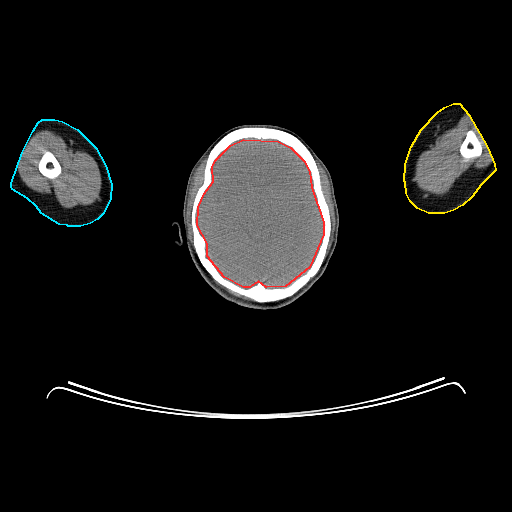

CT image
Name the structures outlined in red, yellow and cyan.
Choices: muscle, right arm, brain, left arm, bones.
red: brain; yellow: left arm; cyan: right arm.
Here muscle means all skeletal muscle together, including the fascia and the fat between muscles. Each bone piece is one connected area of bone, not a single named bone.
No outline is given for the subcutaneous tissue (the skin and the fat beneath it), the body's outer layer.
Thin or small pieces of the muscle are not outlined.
brain: (243, 139) (278, 141) (290, 147) (303, 160) (309, 171) (311, 187) (323, 222) (323, 234) (309, 267) (285, 286) (266, 287) (258, 281) (249, 287) (243, 287) (224, 277) (207, 256) (207, 243) (197, 225) (198, 207) (204, 193) (213, 181) (212, 167) (215, 160) (230, 145)
left arm: (453, 103) (459, 103) (468, 114) (487, 147) (494, 164) (495, 170) (481, 184) (471, 197) (462, 205) (453, 210) (444, 213) (428, 213) (417, 208) (410, 201) (406, 193) (405, 182) (404, 181) (405, 164) (411, 146) (421, 129) (437, 112) (444, 107)
right arm: (42, 119) (54, 119) (62, 121) (77, 129) (95, 147) (105, 165) (111, 184) (110, 198) (103, 213) (97, 219) (90, 223) (80, 226) (68, 226) (67, 225) (59, 224) (41, 213) (36, 206) (27, 198) (12, 189) (11, 187) (11, 183) (22, 152) (33, 130) (38, 122)
muscle 1: (42, 129) (54, 131) (63, 137) (71, 139) (81, 150) (87, 152) (94, 158) (97, 162) (102, 180) (100, 193) (101, 199) (99, 201) (80, 210) (65, 209) (61, 207) (53, 198) (38, 193) (24, 184) (20, 178) (19, 172) (16, 169) (17, 164) (31, 134) (36, 130) with a hole at (45, 150) (50, 151) (54, 155) (54, 156) (56, 158) (56, 159) (58, 161) (58, 162) (61, 166) (61, 173) (57, 177) (53, 179) (50, 179) (44, 176) (40, 172) (39, 170) (39, 168) (38, 167) (38, 164) (39, 163) (39, 161) (42, 157) (44, 153) (44, 151)
muscle 2: (462, 113) (468, 114) (478, 130) (491, 156) (491, 158) (489, 159) (490, 162) (484, 168) (475, 169) (469, 172) (446, 194) (428, 195) (420, 191) (416, 187) (416, 185) (412, 182) (416, 160) (426, 145) (426, 143) (434, 135) (436, 131) (440, 127) (441, 128) (456, 116) with a hole at (469, 130) (472, 130) (480, 139) (482, 143) (482, 149) (481, 150) (481, 154) (477, 157) (471, 157) (469, 159) (463, 159) (463, 158) (461, 156) (459, 152) (459, 149) (460, 148) (460, 146) (461, 144) (463, 142) (466, 136) (466, 133)
muscle 3: (206, 157) (206, 161) (203, 170) (203, 181) (195, 193) (192, 203) (192, 207) (191, 208) (190, 223) (191, 224) (191, 229) (192, 230) (192, 242) (190, 238) (190, 234) (187, 226) (187, 205) (188, 204) (188, 198) (190, 193) (190, 187) (192, 183) (193, 175) (202, 160)
muscle 4: (316, 161) (323, 168) (327, 177) (329, 191) (330, 192) (330, 197) (333, 205) (333, 211) (334, 212) (334, 225) (332, 232) (332, 239) (330, 246) (327, 251) (328, 244) (330, 240) (332, 224) (330, 217) (330, 210) (322, 189) (320, 172) (317, 166)
muscle 5: (215, 281) (217, 283) (218, 283) (223, 287) (224, 287) (225, 288) (228, 289) (230, 291) (231, 291) (232, 292) (234, 292) (235, 293) (237, 293) (239, 295) (241, 295) (242, 296) (244, 296) (245, 297) (246, 297) (247, 298) (248, 298) (251, 300) (250, 300) (249, 299) (244, 299) (243, 298) (241, 298) (240, 297) (238, 297) (237, 296) (235, 296) (234, 295) (233, 295) (232, 294) (229, 293) (225, 289) (222, 288) (219, 285) (218, 285) (215, 282)
bones 1: (242, 127) (279, 129) (299, 139) (315, 160) (319, 172) (321, 189) (329, 210) (331, 229) (326, 254) (318, 271) (292, 295) (274, 301) (255, 301) (217, 282) (200, 262) (193, 245) (191, 223) (192, 208) (196, 193) (204, 181) (204, 170) (208, 154) (215, 144) (226, 134); inner edge: (243, 139) (278, 141) (290, 147) (303, 160) (309, 171) (311, 187) (323, 222) (323, 234) (309, 267) (285, 286) (266, 287) (258, 281) (249, 287) (243, 287) (224, 277) (207, 256) (207, 243) (197, 225) (198, 207) (204, 193) (213, 181) (212, 167) (215, 160) (230, 145)
bones 2: (469, 130) (472, 130) (480, 139) (482, 143) (482, 149) (481, 150) (481, 154) (477, 157) (471, 157) (469, 159) (463, 159) (463, 158) (461, 156) (459, 152) (459, 149) (460, 148) (460, 146) (461, 144) (463, 142) (466, 136) (466, 133)
bones 3: (45, 150) (50, 151) (54, 155) (54, 156) (56, 158) (56, 159) (58, 161) (58, 162) (61, 166) (61, 173) (57, 177) (53, 179) (50, 179) (44, 176) (40, 172) (39, 170) (39, 168) (38, 167) (38, 164) (39, 163) (39, 161) (42, 157) (44, 153) (44, 151)
head: (243, 124) (271, 124) (297, 134) (326, 166) (332, 180) (338, 210) (337, 241) (324, 273) (295, 301) (274, 309) (250, 308) (226, 300) (203, 280) (186, 244) (176, 246) (174, 243) (179, 234) (178, 228) (172, 224) (176, 220) (183, 225) (184, 196) (194, 164) (220, 135)